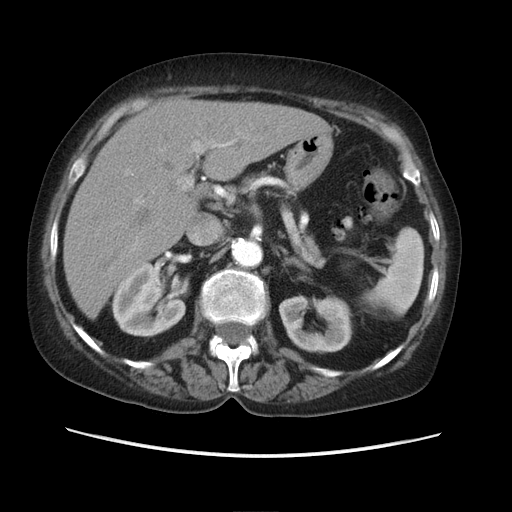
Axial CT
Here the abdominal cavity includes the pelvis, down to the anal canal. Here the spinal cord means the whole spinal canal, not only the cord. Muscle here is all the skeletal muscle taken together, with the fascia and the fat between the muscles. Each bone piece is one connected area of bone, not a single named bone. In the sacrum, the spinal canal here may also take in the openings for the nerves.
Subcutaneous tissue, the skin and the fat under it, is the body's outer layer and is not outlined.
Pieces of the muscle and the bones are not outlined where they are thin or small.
The abdominal cavity is outlined by 248 92; 305 102; 391 142; 424 205; 433 238; 431 276; 421 315; 401 343; 368 365; 348 370; 323 367; 280 346; 265 282; 233 267; 203 281; 189 335; 146 360; 106 351; 62 301; 56 279; 60 219; 74 185; 114 124; 177 96. The spinal cord is outlined by 226 322; 238 322; 239 323; 244 324; 250 327; 250 332; 249 334; 245 338; 244 340; 244 342; 243 343; 240 343; 236 346; 231 346; 229 345; 226 342; 224 342; 223 341; 223 339; 216 332; 216 326; 218 324; 222 324. The muscle is outlined by 225 84; 356 102; 383 113; 409 138; 442 214; 447 257; 439 307; 403 366; 381 376; 361 377; 303 402; 268 404; 237 392; 241 362; 259 352; 252 329; 266 316; 268 298; 269 320; 278 345; 314 364; 308 368; 312 372; 336 377; 377 359; 370 367; 373 371; 390 362; 404 347; 426 299; 429 304; 435 299; 439 284; 439 270; 432 263; 432 239; 440 240; 439 224; 432 210; 426 213; 416 191; 421 184; 420 171; 401 134; 379 122; 388 140; 351 119; 263 91; 177 95; 124 116; 146 101; 141 97; 115 109; 98 128; 95 140; 102 140; 91 157; 84 152; 72 163; 67 186; 73 187; 59 223; 58 217; 54 218; 49 234; 49 257; 55 260; 61 301; 73 316; 71 326; 90 348; 103 357; 105 351; 122 358; 136 369; 152 367; 155 363; 147 360; 190 335; 199 296; 201 314; 215 328; 207 350; 226 364; 228 391; 208 401; 153 394; 104 371; 65 337; 43 281; 40 252; 50 204; 71 156; 96 120; 132 94; 161 86. The bones appear in 11 outlined pieces: piece 1: 225 268; 258 276; 264 282; 267 295; 265 316; 251 329; 258 352; 240 362; 236 392; 227 389; 228 366; 209 353; 209 340; 215 332; 224 343; 236 347; 245 342; 251 327; 238 321; 226 321; 214 327; 203 316; 200 305; 204 281; piece 2: 379 123; 383 123; 384 124; 386 124; 388 126; 393 127; 402 137; 403 141; 411 155; 411 158; 415 166; 419 171; 420 184; 417 187; 416 187; 414 184; 406 177; 404 173; 404 165; 402 161; 402 157; 401 156; 400 151; 382 131; piece 3: 141 98; 145 100; 143 103; 137 107; 134 107; 131 109; 129 109; 113 124; 113 125; 107 132; 106 135; 102 139; 98 140; 97 141; 96 140; 96 134; 99 128; 103 122; 115 110; 125 104; 128 104; 130 103; 135 99; 140 99; piece 4: 84 153; 85 153; 87 155; 87 159; 88 160; 87 162; 87 165; 83 173; 79 177; 79 178; 75 182; 75 183; 72 186; 69 187; 68 186; 68 176; 69 175; 69 172; 70 171; 70 169; 75 160; 80 156; 81 156; piece 5: 72 320; 73 321; 74 321; 78 325; 79 325; 93 339; 93 340; 104 351; 104 355; 103 356; 102 355; 99 354; 91 347; 90 347; 80 337; 80 336; 77 333; 77 332; 74 329; 74 328; 72 326; 72 324; 71 323; 71 321; piece 6: 56 217; 57 217; 57 218; 58 219; 58 235; 57 236; 57 251; 56 252; 56 256; 55 257; 55 259; 54 260; 52 260; 50 257; 50 234; 51 233; 51 228; 52 227; 52 225; 53 224; 53 222; 54 221; 54 220; piece 7: 434 266; 436 266; 438 270; 438 284; 437 285; 437 290; 436 291; 436 294; 435 295; 435 297; 432 301; 432 302; 429 303; 427 301; 427 296; 428 295; 428 291; 430 287; 430 282; 431 281; 431 277; 432 276; 432 270; piece 8: 402 343; 403 344; 403 347; 401 349; 401 350; 390 361; 389 361; 383 366; 382 366; 377 369; 375 369; 374 370; 371 369; 371 367; 381 358; 382 358; 388 352; 389 352; 391 350; 394 349; 396 347; 397 347; 400 344; 401 344; piece 9: 311 366; 318 366; 319 367; 322 367; 323 368; 328 368; 329 369; 333 369; 334 370; 341 370; 343 371; 343 372; 342 374; 340 375; 337 375; 336 376; 325 376; 320 373; 317 373; 314 371; 312 371; 309 368; piece 10: 123 358; 127 358; 131 360; 144 360; 145 361; 151 361; 153 363; 154 363; 154 364; 152 366; 150 366; 146 368; 136 368; 130 365; 128 365; 126 363; 125 363; 122 360; piece 11: 430 211; 432 211; 433 212; 435 216; 435 218; 437 221; 437 223; 438 224; 438 227; 439 228; 439 240; 438 241; 436 241; 434 239; 434 237; 432 233; 432 230; 430 226; 430 222; 429 221; 429 218; 428 217; 428 214. The torso is outlined by 212 51; 289 55; 339 64; 386 85; 421 117; 457 208; 462 253; 455 307; 439 363; 419 392; 320 417; 261 417; 233 398; 206 412; 165 413; 77 385; 38 353; 26 315; 26 247; 37 193; 55 148; 92 100; 121 76; 164 59.